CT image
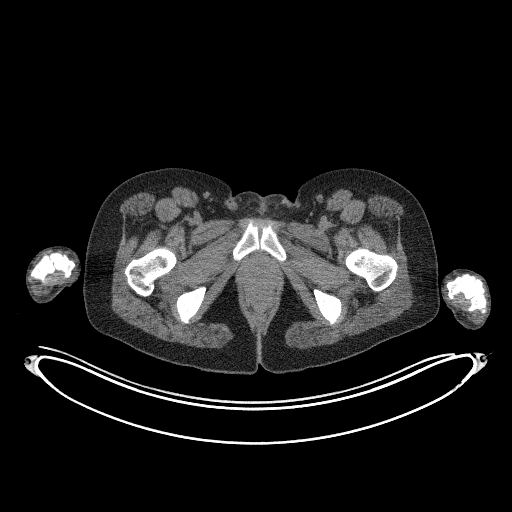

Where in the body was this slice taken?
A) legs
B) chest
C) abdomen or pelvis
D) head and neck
Answer: C) abdomen or pelvis
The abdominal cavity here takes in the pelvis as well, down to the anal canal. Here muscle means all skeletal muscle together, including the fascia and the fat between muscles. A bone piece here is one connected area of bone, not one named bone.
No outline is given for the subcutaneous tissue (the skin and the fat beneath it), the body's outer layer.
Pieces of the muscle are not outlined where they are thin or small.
Outlined structures:
muscle 1: 173 184; 195 192; 197 205; 208 220; 259 217; 309 224; 332 193; 340 188; 388 196; 403 208; 400 236; 414 301; 393 320; 332 344; 301 349; 286 345; 284 334; 293 322; 311 317; 289 280; 286 277; 283 280; 278 309; 265 333; 257 336; 240 309; 233 275; 203 315; 207 322; 226 324; 234 334; 223 347; 200 348; 147 333; 120 318; 111 307; 112 273; 122 235; 119 209; 133 194 with holes at 249 221; 252 221; 259 227; 270 224; 286 252; 286 259; 282 262; 274 257; 273 258; 279 272; 277 291; 273 307; 261 327; 256 325; 247 311; 245 294; 240 276; 246 257; 245 256; 237 261; 233 259; 232 255; 232 250 and at 158 247; 165 247; 173 252; 176 257; 176 263; 173 268; 168 273; 166 273; 160 276; 154 281; 154 288; 150 295; 148 296; 142 296; 139 295; 137 294; 127 283; 126 276; 124 273; 124 269; 127 264; 132 259; 138 258; 151 250 and at 359 247; 366 248; 380 254; 388 254; 396 261; 397 263; 397 271; 396 272; 395 278; 386 288; 383 289; 381 291; 378 291; 377 292; 373 291; 368 286; 364 278; 351 272; 347 268; 345 264; 345 257; 349 254; 350 252 and at 199 286; 205 286; 206 288; 203 300; 197 312; 190 319; 189 322; 188 323; 184 323; 179 319; 179 316; 177 312; 177 309; 176 308; 176 301; 177 300; 177 298; 178 296; 182 293; 186 291; 193 290; 197 288 and at 315 288; 319 289; 324 292; 332 294; 336 296; 341 301; 341 312; 339 317; 336 320; 336 322; 335 323; 331 325; 329 324; 329 322; 326 319; 325 319; 321 314; 318 308; 318 306; 317 305; 317 303; 313 293; 313 290
muscle 2: 76 266; 76 271; 74 275; 67 282; 55 285; 47 294; 37 296; 32 292; 30 283; 28 281; 29 272; 29 276; 33 280; 39 281; 43 285; 45 285; 47 275; 52 274; 55 271; 60 271; 62 272; 63 277; 67 279; 70 277
muscle 3: 445 283; 447 289; 447 297; 450 300; 453 300; 455 296; 461 293; 466 299; 469 300; 469 305; 466 309; 468 312; 471 313; 476 310; 483 315; 485 314; 481 322; 474 323; 468 320; 460 309; 454 306; 444 297; 442 294; 442 287
muscle 4: 49 249; 52 249; 53 250; 57 250; 58 249; 61 249; 62 250; 65 250; 66 251; 69 252; 70 255; 74 258; 75 258; 75 260; 76 261; 76 263; 76 262; 75 261; 72 258; 70 258; 67 254; 66 254; 59 250; 53 250; 49 253; 47 253; 46 252; 43 253; 40 257; 40 258; 33 266; 34 261; 37 258; 37 257; 42 252; 43 252; 44 251; 46 251
left arm: 460 267; 471 269; 482 275; 487 281; 489 287; 489 291; 491 296; 491 310; 485 323; 478 329; 469 330; 462 326; 455 319; 451 310; 446 306; 445 302; 441 298; 441 295; 440 294; 441 280; 447 273; 455 268; 459 268
abdominal cavity: 256 251; 263 251; 271 256; 273 258; 273 260; 275 262; 279 272; 277 282; 277 291; 273 302; 273 307; 261 327; 258 327; 256 325; 247 311; 245 301; 245 294; 242 284; 242 280; 240 276; 242 266; 246 259; 246 256
right arm: 52 245; 64 245; 74 250; 77 253; 79 257; 80 264; 81 265; 81 270; 77 280; 71 286; 64 288; 52 300; 46 303; 37 303; 30 297; 25 285; 25 273; 26 272; 26 269; 29 262; 37 252; 48 246; 51 246
torso: 166 167; 211 174; 234 194; 281 193; 290 200; 301 184; 329 170; 365 168; 391 177; 417 198; 428 219; 440 281; 438 313; 422 327; 350 358; 285 373; 260 365; 254 374; 181 366; 99 333; 87 318; 82 292; 96 214; 117 185
bones 1: 158 247; 165 247; 173 252; 176 257; 176 263; 173 268; 168 273; 166 273; 160 276; 154 281; 154 288; 150 295; 148 296; 142 296; 139 295; 137 294; 127 283; 126 276; 124 273; 124 269; 127 264; 132 259; 138 258; 151 250
bones 2: 359 247; 366 248; 380 254; 388 254; 396 261; 397 263; 397 271; 396 272; 395 278; 386 288; 383 289; 381 291; 378 291; 377 292; 373 291; 368 286; 364 278; 351 272; 347 268; 345 264; 345 257; 349 254; 350 252
bones 3: 249 221; 252 221; 259 227; 267 224; 270 224; 271 225; 273 229; 276 232; 278 239; 286 252; 286 259; 284 261; 282 262; 278 261; 274 257; 263 250; 253 251; 246 255; 239 261; 233 259; 232 250; 237 241; 241 237; 242 233
bones 4: 465 272; 474 275; 483 282; 485 289; 486 307; 487 308; 487 311; 483 314; 476 309; 471 312; 468 311; 467 309; 470 305; 470 300; 466 298; 461 292; 455 295; 453 299; 450 299; 448 297; 448 289; 446 286; 446 282
bones 5: 53 251; 59 251; 67 255; 70 259; 72 259; 75 262; 76 265; 69 277; 66 278; 64 277; 62 271; 55 270; 52 273; 46 275; 45 284; 43 284; 39 280; 33 279; 30 276; 30 272; 43 254; 45 253; 49 254
bones 6: 199 286; 205 286; 206 288; 203 300; 197 312; 190 319; 189 322; 188 323; 184 323; 179 319; 179 316; 177 312; 177 309; 176 308; 176 301; 177 300; 177 298; 178 296; 182 293; 186 291; 193 290; 197 288
bones 7: 315 288; 319 289; 324 292; 332 294; 336 296; 341 301; 341 312; 339 317; 336 320; 336 322; 335 323; 331 325; 329 324; 329 322; 326 319; 325 319; 321 314; 318 308; 318 306; 317 305; 317 303; 313 293; 313 290